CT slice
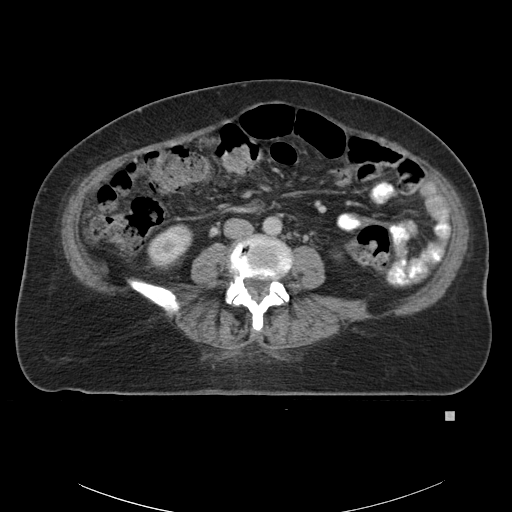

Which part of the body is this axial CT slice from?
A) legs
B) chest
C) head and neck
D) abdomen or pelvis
Answer: D) abdomen or pelvis
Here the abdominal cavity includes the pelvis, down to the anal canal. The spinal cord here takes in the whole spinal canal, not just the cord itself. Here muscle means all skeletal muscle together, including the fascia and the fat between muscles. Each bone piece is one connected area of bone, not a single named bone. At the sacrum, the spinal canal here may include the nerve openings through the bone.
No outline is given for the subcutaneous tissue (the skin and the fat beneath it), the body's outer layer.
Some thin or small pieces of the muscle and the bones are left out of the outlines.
The abdominal cavity is outlined by 270,102 317,112 425,167 451,234 423,285 375,308 364,298 314,292 326,279 316,248 291,249 260,233 231,248 218,241 204,247 191,262 193,284 130,276 87,251 79,233 84,200 108,175 134,156 190,142. The torso is outlined by 264,78 312,81 381,100 419,121 461,160 482,200 490,248 486,294 492,320 492,342 481,373 465,389 447,395 125,395 75,390 51,392 33,386 17,361 14,317 31,208 50,168 82,138 144,104 199,88. The spinal cord is outlined by 259,276 269,276 271,278 271,281 268,285 268,293 261,299 259,303 257,303 256,302 256,300 255,299 253,299 247,291 247,289 244,285 245,283 243,281 243,280 245,278 253,278 254,277 258,277. The bones appear in 2 outlined pieces: piece 1: 256,234 279,239 290,248 292,254 291,267 279,279 289,295 289,300 280,305 272,305 266,310 263,314 263,326 259,331 252,328 252,314 245,306 232,306 225,301 226,289 233,278 229,271 230,251 237,241, around a hole outlined by 259,276 269,276 271,278 271,281 268,285 268,293 261,299 259,303 257,303 256,302 256,300 255,299 253,299 247,291 247,289 244,285 245,283 243,281 243,280 245,278 253,278 254,277 258,277; piece 2: 127,277 134,277 141,281 151,283 155,285 158,285 161,287 170,290 176,296 176,299 179,303 180,308 178,312 177,313 169,313 161,306 154,303 150,299 145,297 142,294 132,289 132,288 126,282 126,278. The muscle is outlined by 273,100 291,102 294,104 315,108 348,126 368,131 395,141 415,155 427,160 430,164 439,170 453,184 456,191 459,194 461,201 465,208 469,226 469,240 466,254 464,256 456,276 441,298 433,305 412,315 399,316 398,317 391,316 387,318 368,321 364,323 352,323 347,329 336,334 333,337 324,339 311,345 306,345 287,350 279,350 271,348 262,349 257,344 245,344 236,348 221,348 219,349 214,348 204,343 198,343 192,341 186,337 181,331 176,328 164,316 160,315 160,310 155,305 148,303 138,295 128,297 126,296 110,296 94,291 92,289 84,286 78,281 77,278 72,273 64,255 63,246 61,241 61,218 65,206 67,204 69,196 75,190 83,177 98,165 123,153 152,143 160,142 183,133 187,133 200,129 203,127 214,124 224,118 229,118 237,114 242,109 248,106 251,106 260,102 268,102, around a hole outlined by 270,102 317,112 425,167 447,206 451,234 445,256 423,285 375,308 364,298 314,292 326,279 324,261 315,247 296,245 291,267 279,279 289,300 270,306 257,331 245,306 225,301 233,278 231,248 226,244 214,242 193,258 193,284 134,277 170,290 180,306 177,313 132,289 126,282 129,275 87,251 79,233 84,200 108,175 134,156 190,142.